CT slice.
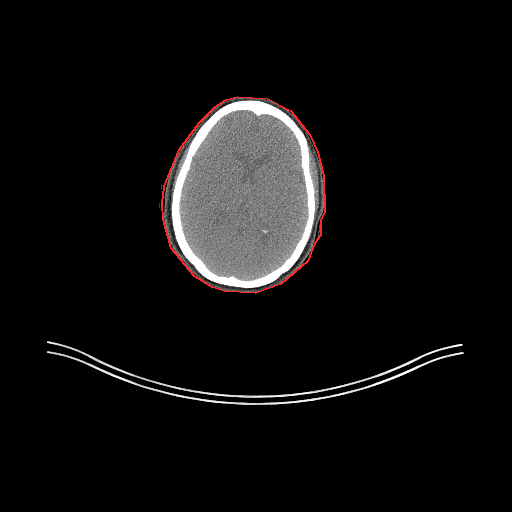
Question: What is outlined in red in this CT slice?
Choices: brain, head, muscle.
Answer: red: head.
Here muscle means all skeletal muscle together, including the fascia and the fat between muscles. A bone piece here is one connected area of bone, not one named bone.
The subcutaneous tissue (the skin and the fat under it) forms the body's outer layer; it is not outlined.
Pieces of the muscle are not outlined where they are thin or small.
Outlined structures:
head: 237,96 267,98 290,110 309,134 317,152 323,175 324,211 320,220 320,235 314,243 307,261 280,284 255,293 224,291 212,287 194,276 171,248 163,219 162,203 164,186 179,149 199,122 215,106 226,99
bones: 239,100 259,100 271,104 285,112 296,123 307,140 309,169 314,189 314,219 310,236 303,251 287,271 275,280 257,287 225,285 203,276 181,251 175,238 171,220 172,192 190,142 199,128 212,114 224,105 with a hole at 238,111 249,111 258,117 262,115 271,116 282,122 291,131 299,148 299,165 306,196 306,218 300,236 290,253 276,267 251,278 220,274 212,270 191,247 181,217 183,187 194,156 214,126 225,116
brain: 238,111 249,111 258,117 262,115 271,116 282,122 291,131 299,148 299,165 306,196 306,218 300,236 290,253 276,267 251,278 220,274 212,270 191,247 181,217 183,187 194,156 214,126 225,116
muscle 1: 309,146 312,152 317,169 318,198 319,199 318,200 317,213 316,214 315,217 314,221 314,225 313,226 313,233 312,233 312,230 313,229 313,225 314,224 315,219 315,212 316,205 315,204 315,189 314,188 314,183 310,169 310,152 309,151
muscle 2: 188,145 188,147 187,148 187,150 186,151 184,159 180,166 180,168 178,171 178,173 175,178 175,180 173,184 173,188 172,189 172,191 172,185 173,184 173,180 174,179 175,172 177,169 179,161 185,149